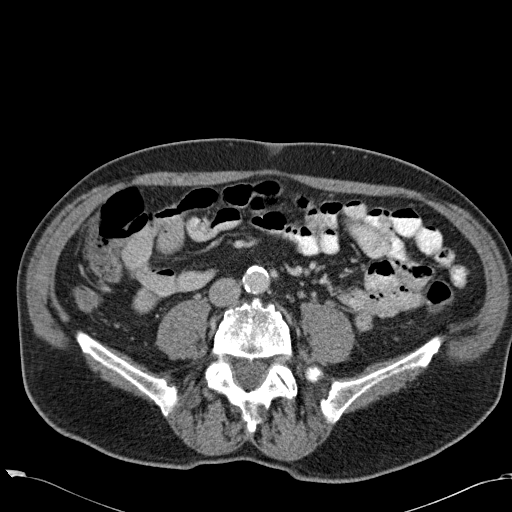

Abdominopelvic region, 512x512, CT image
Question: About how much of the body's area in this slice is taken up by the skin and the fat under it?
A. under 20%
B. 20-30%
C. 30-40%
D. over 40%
Answer: B. 20-30%
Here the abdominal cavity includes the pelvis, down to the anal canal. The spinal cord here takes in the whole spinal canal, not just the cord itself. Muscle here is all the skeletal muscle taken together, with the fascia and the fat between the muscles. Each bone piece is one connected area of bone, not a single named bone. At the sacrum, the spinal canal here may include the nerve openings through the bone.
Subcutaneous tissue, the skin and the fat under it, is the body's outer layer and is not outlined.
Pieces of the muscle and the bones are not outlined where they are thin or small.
{"abdominal_cavity":[[[256,175],[429,205],[479,255],[481,308],[342,377],[323,369],[350,359],[350,321],[312,300],[299,305],[295,353],[282,308],[259,297],[223,311],[209,351],[208,302],[171,307],[154,341],[185,361],[170,369],[102,343],[54,287],[90,213],[130,185]]],"bones":[{"outer":[[253,298],[259,298],[264,305],[270,302],[281,308],[290,330],[293,356],[288,364],[296,379],[298,393],[291,399],[274,398],[268,409],[259,405],[258,413],[262,421],[251,433],[241,417],[240,408],[207,386],[204,369],[212,359],[210,350],[224,311]],"hole":[[229,356],[231,357],[235,357],[236,358],[245,358],[250,362],[257,358],[271,359],[271,360],[267,367],[266,373],[264,375],[264,377],[261,382],[254,388],[249,390],[246,390],[238,383],[234,375],[235,372],[232,368],[232,364],[229,360]]},[[435,335],[443,336],[443,341],[437,353],[433,355],[427,367],[425,368],[420,366],[414,369],[405,370],[384,379],[358,397],[344,411],[334,424],[326,422],[321,412],[319,402],[320,399],[327,396],[333,380],[355,379],[379,368],[385,367],[401,359]],[[79,329],[142,371],[156,377],[166,378],[169,385],[174,384],[177,387],[177,394],[179,398],[177,405],[166,417],[164,417],[159,407],[148,396],[142,393],[134,385],[117,373],[107,369],[95,361],[87,353],[82,352],[75,339],[75,333]],[[314,364],[317,365],[320,368],[321,368],[322,369],[322,370],[324,373],[324,375],[322,378],[321,378],[316,382],[313,383],[312,382],[310,382],[309,381],[308,381],[305,378],[305,376],[304,375],[304,370],[307,366],[309,366],[310,365],[313,365]]],"muscle":[[[259,169],[277,169],[326,178],[400,186],[452,201],[468,211],[494,240],[508,275],[508,311],[501,332],[492,347],[479,359],[469,363],[451,365],[435,361],[425,371],[413,380],[408,381],[404,387],[380,397],[366,407],[351,411],[340,419],[358,398],[384,380],[405,371],[420,367],[425,369],[426,368],[427,368],[432,361],[434,355],[438,353],[444,341],[442,334],[445,329],[453,322],[478,314],[487,290],[484,266],[476,248],[460,230],[445,215],[421,200],[401,195],[326,190],[277,174],[256,174],[211,184],[135,183],[123,186],[106,196],[79,224],[63,246],[55,265],[54,294],[79,328],[74,333],[74,339],[81,352],[130,383],[155,405],[98,376],[78,353],[54,348],[38,338],[27,311],[26,271],[43,232],[67,204],[96,185],[125,175],[156,171]],[[186,300],[204,301],[210,307],[204,339],[211,356],[203,369],[206,386],[239,408],[240,417],[251,434],[263,421],[259,406],[268,410],[274,399],[291,400],[299,393],[289,363],[298,345],[306,343],[298,325],[302,303],[312,301],[337,308],[346,316],[355,338],[348,360],[323,368],[315,363],[307,365],[303,375],[310,383],[322,379],[325,372],[337,378],[353,376],[374,362],[409,352],[359,377],[333,379],[318,404],[325,422],[335,425],[321,444],[299,459],[274,458],[248,440],[230,452],[203,454],[184,443],[165,418],[179,403],[178,387],[169,384],[164,376],[142,370],[103,344],[152,372],[182,365],[185,360],[170,359],[156,347],[155,341],[164,315]]],"torso":[[[215,137],[328,142],[391,155],[447,181],[487,216],[511,251],[511,350],[501,396],[475,429],[402,469],[323,483],[298,480],[249,460],[189,469],[132,463],[65,436],[43,419],[23,384],[16,306],[18,265],[33,230],[68,189],[101,164],[153,145]]],"spinal_cord":[[[229,356],[231,357],[235,357],[236,358],[245,358],[250,362],[257,358],[271,359],[271,360],[267,367],[266,373],[264,375],[264,377],[261,382],[254,388],[249,390],[246,390],[238,383],[234,375],[235,372],[232,368],[232,364],[229,360]]]}